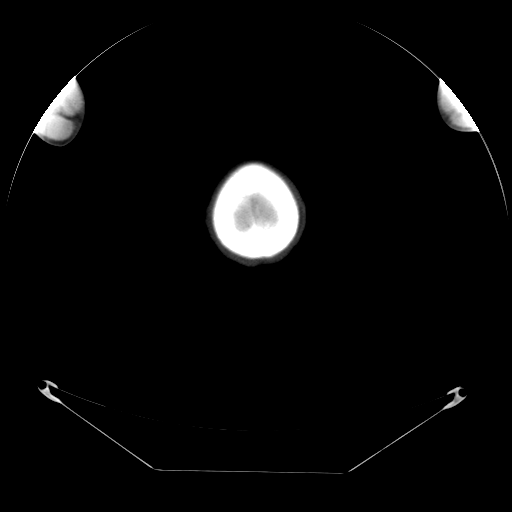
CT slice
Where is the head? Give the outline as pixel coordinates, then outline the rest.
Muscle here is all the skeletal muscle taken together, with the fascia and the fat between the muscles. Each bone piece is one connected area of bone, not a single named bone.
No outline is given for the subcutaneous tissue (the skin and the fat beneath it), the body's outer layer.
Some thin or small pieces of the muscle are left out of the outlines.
The head is outlined by (248, 156) (263, 157) (273, 162) (287, 172) (301, 190) (305, 198) (308, 211) (308, 221) (305, 233) (301, 242) (293, 253) (284, 261) (277, 265) (258, 269) (248, 269) (240, 267) (222, 257) (208, 238) (202, 222) (204, 206) (216, 181) (226, 168) (231, 164) (241, 158). The brain is outlined by (252, 197) (256, 197) (258, 198) (263, 203) (265, 207) (271, 211) (271, 216) (269, 218) (264, 218) (261, 216) (259, 217) (255, 217) (252, 214) (250, 214) (247, 219) (248, 225) (244, 225) (240, 222) (240, 220) (238, 216) (244, 209) (247, 209) (250, 207) (250, 200). The left arm is outlined by (439, 84) (445, 84) (447, 85) (463, 104) (465, 108) (470, 114) (471, 117) (475, 123) (475, 127) (474, 127) (472, 130) (468, 132) (458, 132) (457, 131) (450, 129) (447, 126) (446, 126) (441, 120) (438, 114) (438, 112) (436, 109) (436, 102) (435, 101) (436, 90). The muscle appears in 3 outlined pieces: piece 1: (70, 79) (75, 80) (76, 83) (82, 91) (82, 107) (78, 115) (77, 120) (75, 123) (75, 126) (72, 132) (68, 136) (62, 139) (51, 139) (42, 135) (38, 132) (34, 131) (33, 129) (34, 126) (37, 124) (46, 109) (50, 105) (59, 92) (66, 85) (68, 80); piece 2: (443, 84) (445, 84) (447, 85) (457, 96) (457, 97) (463, 104) (463, 105) (468, 111) (471, 117) (473, 119) (475, 123) (475, 127) (464, 127) (463, 126) (459, 126) (456, 122) (454, 121) (451, 121) (450, 118) (446, 113) (441, 103) (441, 90) (442, 89) (442, 85); piece 3: (282, 175) (283, 175) (292, 185) (295, 191) (297, 193) (299, 197) (299, 199) (301, 202) (301, 206) (302, 207) (302, 212) (301, 213) (301, 224) (299, 228) (299, 231) (296, 237) (297, 235) (297, 233) (299, 230) (299, 226) (300, 225) (300, 218) (301, 217) (301, 215) (300, 214) (300, 207) (299, 206) (298, 201) (291, 187) (289, 185) (289, 184) (287, 182) (285, 178). The right arm is outlined by (73, 77) (79, 84) (84, 99) (84, 109) (83, 110) (82, 123) (76, 134) (72, 139) (65, 145) (51, 144) (40, 137) (34, 131) (33, 128) (34, 126) (37, 124) (38, 121) (41, 118) (44, 112) (50, 105) (52, 101) (65, 86) (68, 80) (71, 79). The bones are outlined by (250, 161) (262, 162) (277, 171) (284, 178) (290, 187) (299, 207) (299, 214) (300, 215) (299, 225) (295, 237) (284, 250) (270, 258) (249, 259) (232, 253) (221, 245) (216, 238) (212, 228) (211, 210) (213, 201) (219, 186) (226, 176) (233, 169) (243, 163) with a hole at (252, 197) (256, 197) (258, 198) (263, 203) (265, 207) (271, 211) (271, 216) (269, 218) (264, 218) (261, 216) (259, 217) (255, 217) (252, 214) (250, 214) (247, 219) (248, 225) (244, 225) (240, 222) (240, 220) (238, 216) (244, 209) (247, 209) (250, 207) (250, 200).